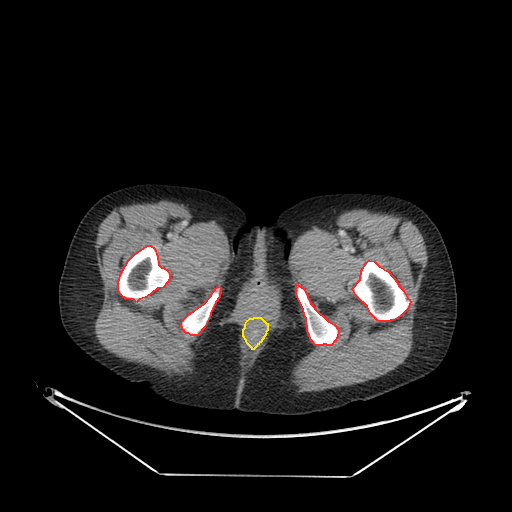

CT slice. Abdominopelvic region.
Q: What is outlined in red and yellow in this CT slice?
A: red: bones; yellow: abdominal cavity.
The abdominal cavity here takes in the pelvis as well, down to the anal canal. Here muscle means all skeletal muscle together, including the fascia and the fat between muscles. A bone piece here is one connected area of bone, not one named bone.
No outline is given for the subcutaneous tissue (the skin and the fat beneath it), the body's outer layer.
Outlined structures:
bones 1: (369, 260) (374, 261) (379, 266) (388, 271) (397, 282) (398, 285) (403, 290) (407, 298) (409, 299) (410, 301) (407, 309) (400, 316) (393, 320) (390, 320) (389, 321) (379, 321) (377, 320) (370, 313) (367, 306) (356, 296) (352, 288) (360, 279) (361, 270) (366, 262)
bones 2: (147, 245) (150, 245) (154, 248) (157, 256) (158, 264) (161, 267) (163, 267) (167, 270) (169, 274) (169, 279) (163, 287) (157, 288) (151, 293) (145, 297) (139, 299) (136, 302) (133, 299) (125, 298) (120, 294) (118, 290) (118, 282) (121, 272) (128, 260) (134, 254)
bones 3: (297, 284) (304, 289) (310, 303) (314, 307) (314, 308) (328, 321) (334, 324) (337, 328) (338, 330) (337, 337) (331, 345) (327, 345) (326, 344) (323, 344) (322, 345) (315, 345) (311, 340) (307, 330) (306, 318) (305, 317) (303, 309) (296, 294) (296, 285)
bones 4: (218, 286) (220, 287) (220, 293) (219, 294) (219, 297) (215, 302) (210, 313) (210, 315) (204, 327) (197, 335) (191, 335) (188, 333) (186, 333) (183, 330) (181, 325) (181, 323) (183, 319) (187, 315) (204, 303) (211, 295) (212, 292) (215, 289) (215, 288)
abdominal cavity: (254, 317) (260, 317) (266, 323) (267, 323) (267, 330) (265, 332) (266, 333) (260, 342) (259, 342) (258, 344) (257, 344) (256, 346) (253, 349) (252, 349) (252, 348) (247, 343) (246, 340) (243, 336) (243, 329) (245, 327) (245, 324) (247, 320) (250, 318) (253, 318)
muscle 1: (356, 208) (404, 217) (423, 236) (428, 262) (414, 316) (413, 347) (404, 363) (375, 379) (297, 393) (296, 388) (289, 383) (291, 370) (308, 353) (311, 345) (307, 341) (306, 330) (302, 326) (288, 281) (291, 275) (289, 256) (295, 241) (304, 232) (320, 228) (342, 212); inner edges: (369, 260) (374, 261) (379, 266) (388, 271) (397, 282) (398, 285) (403, 290) (407, 298) (409, 299) (410, 301) (407, 309) (400, 316) (393, 320) (390, 320) (389, 321) (379, 321) (377, 320) (370, 313) (367, 306) (356, 296) (352, 288) (360, 279) (361, 270) (366, 262), then (297, 284) (304, 289) (310, 303) (314, 307) (314, 308) (328, 321) (334, 324) (337, 328) (338, 330) (337, 337) (331, 345) (327, 345) (326, 344) (323, 344) (322, 345) (315, 345) (311, 340) (307, 330) (306, 318) (305, 317) (303, 309) (296, 294) (296, 285)
muscle 2: (164, 199) (183, 204) (193, 213) (212, 219) (222, 228) (229, 244) (230, 263) (223, 293) (207, 331) (195, 348) (196, 373) (191, 379) (176, 380) (151, 367) (127, 362) (104, 349) (94, 334) (94, 322) (103, 301) (103, 284) (94, 246) (99, 224) (115, 207) (136, 201) with holes at (147, 245) (150, 245) (154, 248) (157, 256) (158, 264) (161, 267) (163, 267) (167, 270) (169, 274) (169, 279) (163, 287) (157, 288) (151, 293) (145, 297) (139, 299) (136, 302) (133, 299) (125, 298) (120, 294) (118, 290) (118, 282) (121, 272) (128, 260) (134, 254) and at (218, 286) (220, 287) (220, 293) (219, 294) (219, 297) (215, 302) (210, 313) (210, 315) (204, 327) (197, 335) (191, 335) (188, 333) (186, 333) (183, 330) (181, 325) (181, 323) (183, 319) (187, 315) (204, 303) (211, 295) (212, 292) (215, 289) (215, 288)
muscle 3: (254, 278) (266, 278) (270, 280) (273, 289) (279, 292) (281, 297) (279, 300) (281, 321) (278, 323) (281, 327) (275, 328) (269, 334) (265, 347) (252, 366) (244, 370) (239, 342) (242, 332) (241, 326) (234, 321) (234, 316) (231, 313) (236, 305) (238, 295) (246, 283) with a hole at (254, 317) (260, 317) (266, 323) (267, 323) (267, 330) (265, 332) (266, 333) (260, 342) (259, 342) (258, 344) (257, 344) (256, 346) (253, 349) (252, 349) (252, 348) (247, 343) (246, 340) (243, 336) (243, 329) (245, 327) (245, 324) (247, 320) (250, 318) (253, 318)
torso: (140, 183) (216, 192) (259, 225) (270, 224) (286, 208) (319, 194) (375, 192) (413, 202) (439, 229) (455, 277) (457, 318) (444, 359) (431, 373) (376, 397) (302, 415) (179, 405) (154, 393) (146, 382) (118, 376) (82, 351) (65, 331) (58, 283) (82, 216) (102, 196)